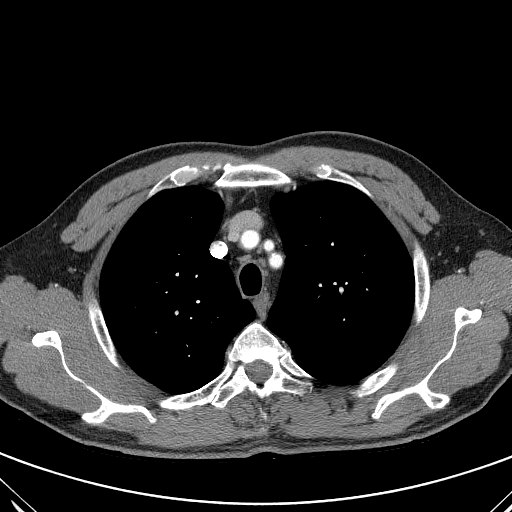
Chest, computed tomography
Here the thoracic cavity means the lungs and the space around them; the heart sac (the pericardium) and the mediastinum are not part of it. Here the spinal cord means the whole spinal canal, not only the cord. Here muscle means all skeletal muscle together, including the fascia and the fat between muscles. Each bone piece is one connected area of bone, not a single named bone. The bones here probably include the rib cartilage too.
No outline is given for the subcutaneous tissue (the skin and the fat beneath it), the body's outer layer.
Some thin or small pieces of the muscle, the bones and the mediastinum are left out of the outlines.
The muscle appears in 2 outlined pieces: piece 1: 291,145 361,151 399,167 440,215 423,248 414,238 411,255 373,194 329,163 312,164 308,169 317,178 297,183 278,168 254,160 181,165 149,189 115,236 101,266 98,299 93,296 87,304 87,316 107,359 120,370 120,357 167,394 156,403 172,411 206,404 223,409 246,390 262,402 280,392 303,398 313,390 314,380 355,385 348,392 361,398 397,372 395,360 383,366 411,321 417,326 426,313 430,271 434,280 466,274 475,253 491,249 511,257 511,334 493,373 458,391 451,401 447,393 429,387 430,378 455,350 461,328 482,316 479,307 459,305 445,354 419,381 383,394 370,414 378,420 388,406 412,394 431,410 448,404 403,432 361,439 271,434 183,448 142,444 125,432 83,425 73,412 23,393 9,379 0,362 0,282 15,274 38,289 50,283 79,295 90,256 62,242 60,234 100,186 176,154 223,151 256,156 with holes at 51,329 58,333 65,361 75,375 114,402 146,407 156,421 149,422 144,414 138,411 116,412 98,424 90,424 82,420 81,414 95,410 101,401 67,373 55,347 51,345 37,347 32,343 32,337 36,332 and at 260,405 261,406 262,406 262,407 263,408 263,409 264,410 264,411 266,413 266,416 267,417 267,418 266,419 266,420 262,420 261,419 261,418 260,417 260,412 259,411 259,406; piece 2: 209,171 211,171 212,172 221,171 221,172 220,173 220,175 213,182 212,185 209,185 208,184 205,184 204,183 194,183 193,182 190,182 197,179 199,177 200,177 202,175 203,175 206,172 208,172. The thoracic cavity appears in 2 outlined pieces: piece 1: 317,179 349,185 365,194 393,225 411,256 414,298 410,323 399,345 382,367 355,384 334,385 319,381 294,360 290,348 267,327 268,313 277,294 286,258 282,240 271,212 272,197 276,191 280,191 287,186; piece 2: 189,183 211,186 221,197 222,216 208,251 214,258 226,262 240,296 251,304 255,317 244,326 226,349 224,365 216,376 191,391 168,394 138,375 119,355 100,306 99,281 102,266 116,236 138,207 160,191. The torso is outlined by 315,130 354,132 395,145 424,162 458,193 511,228 511,375 480,410 435,435 401,445 295,455 260,452 239,459 196,461 138,457 80,445 58,435 0,399 0,246 36,225 89,176 138,150 177,141 260,144. The spinal cord is outlined by 256,360 261,360 262,361 267,363 271,367 271,373 270,374 270,375 265,380 264,380 262,382 262,383 261,383 260,384 259,384 258,383 251,380 248,376 248,375 247,374 247,372 246,371 246,365 247,365. The mediastinum is outlined by 226,187 233,189 272,187 279,190 276,190 271,197 270,212 281,240 285,258 276,294 267,313 266,327 258,320 255,320 255,310 252,304 241,296 227,262 224,259 214,257 209,251 224,211 222,197 213,189. The bones appear in 8 outlined pieces: piece 1: 253,321 258,321 283,341 293,360 313,376 315,379 310,392 303,397 289,392 274,392 262,401 246,389 232,397 223,408 210,403 178,410 158,405 157,400 160,397 191,392 216,377 225,365 227,349 245,326, around a hole outlined by 256,360 261,360 262,361 267,363 271,367 271,373 270,374 270,375 265,380 264,380 262,382 262,383 261,383 260,384 259,384 258,383 251,380 248,376 248,375 247,374 247,372 246,371 246,365 247,365; piece 2: 246,161 270,165 293,179 295,183 287,185 280,190 272,186 235,188 226,186 212,188 222,171 209,170 185,185 160,190 145,200 150,189 157,182 181,166 187,164 200,165 204,163 212,165 217,162 237,164; piece 3: 459,306 470,310 479,308 481,316 476,322 460,328 450,357 438,366 427,382 432,391 447,394 449,403 442,408 431,409 412,393 388,405 379,418 374,419 371,414 383,395 419,382 446,354 453,340 454,312; piece 4: 51,329 58,333 65,361 75,375 114,402 146,407 156,421 149,422 144,414 138,411 116,412 98,424 90,424 82,420 81,414 95,410 101,401 67,373 55,347 51,345 37,347 32,343 32,337 36,332; piece 5: 414,239 416,239 419,242 423,249 424,254 429,264 429,273 430,274 430,289 429,290 429,299 427,307 423,317 417,325 415,325 414,321 412,320 413,310 414,309 414,299 415,298 415,277 412,261 413,241; piece 6: 93,297 95,297 98,300 99,306 103,316 105,325 107,328 111,340 115,347 115,349 119,356 118,359 121,365 121,368 120,369 116,367 108,359 98,343 96,337 93,332 92,326 88,316 88,304 92,300; piece 7: 393,361 397,362 398,364 398,368 394,375 389,380 389,381 383,386 382,386 374,392 370,393 367,395 364,395 361,397 354,396 349,392 349,391 352,388 353,388 356,385 356,384 363,380 369,375 383,368; piece 8: 321,162 329,164 333,167 341,171 343,171 352,176 356,180 360,182 372,194 374,198 374,201 365,193 349,184 346,184 342,182 338,182 329,179 320,179 318,178 313,173 312,173 309,169 312,165.